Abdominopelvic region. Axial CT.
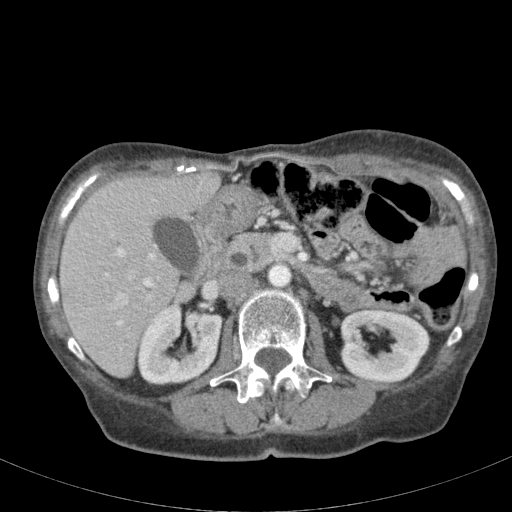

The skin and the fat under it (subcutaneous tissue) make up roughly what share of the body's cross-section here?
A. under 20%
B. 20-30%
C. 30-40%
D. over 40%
Answer: A. under 20%
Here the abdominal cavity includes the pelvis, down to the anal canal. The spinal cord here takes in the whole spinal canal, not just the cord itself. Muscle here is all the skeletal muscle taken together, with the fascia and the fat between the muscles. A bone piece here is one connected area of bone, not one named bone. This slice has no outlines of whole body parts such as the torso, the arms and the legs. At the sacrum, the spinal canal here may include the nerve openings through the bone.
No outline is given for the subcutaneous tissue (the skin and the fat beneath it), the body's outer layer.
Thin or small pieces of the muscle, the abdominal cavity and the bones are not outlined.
The muscle is outlined by 272,150 283,150 300,154 324,156 362,150 371,151 391,157 411,157 415,159 424,158 451,169 458,174 473,190 478,205 481,208 481,213 484,217 485,224 488,230 489,241 487,250 489,254 489,278 487,281 486,288 487,300 481,305 481,313 479,314 480,319 476,324 467,349 454,370 432,386 409,396 362,420 353,429 341,432 339,434 322,436 302,436 293,434 269,433 259,438 245,438 238,440 223,441 214,439 202,439 186,435 181,431 176,432 177,428 173,425 163,422 144,412 128,406 121,404 117,405 112,399 105,399 98,393 97,389 80,377 79,374 63,356 60,351 57,340 49,335 46,318 44,316 41,304 39,269 41,249 45,233 44,232 47,227 48,219 53,208 64,189 69,182 74,179 80,172 92,163 108,154 122,153 130,157 172,157 184,155 188,157 202,157 228,162 231,156 240,154 254,154 258,152 with holes at 266,156 428,188 465,228 478,276 459,341 406,381 367,381 332,365 305,311 304,359 332,380 303,399 280,388 245,403 234,382 209,384 240,363 232,317 211,369 159,397 78,359 47,291 77,185 124,163 and at 442,176 457,183 462,191 465,194 467,199 469,201 469,203 471,207 471,210 473,213 473,216 474,217 474,224 472,226 470,226 467,224 465,220 464,215 461,210 460,205 448,189 442,183 441,181 441,177 and at 276,411 277,411 277,412 278,413 278,414 279,415 279,416 280,417 280,418 282,420 282,423 280,425 275,425 275,424 271,420 271,418 273,416 273,415 274,414 274,413. The bones appear in 5 outlined pieces: piece 1: 265,289 291,293 300,302 306,323 304,359 308,365 331,375 332,380 314,381 303,399 295,390 280,388 275,394 266,391 261,396 240,403 236,399 234,382 225,381 211,386 209,380 240,363 239,311 250,298, around a hole outlined by 264,348 273,348 274,349 283,349 290,356 290,358 291,359 290,360 290,362 286,365 285,365 281,369 280,369 277,372 276,372 272,376 263,367 256,364 254,361 254,359 255,358 255,356 256,354 260,350; piece 2: 95,172 99,172 100,173 99,176 81,194 80,197 77,200 71,211 64,221 64,223 62,225 59,225 58,224 58,216 60,213 62,206 66,201 67,197 70,193 76,188 77,185 81,181 85,180 90,175; piece 3: 442,176 457,183 462,191 465,194 467,199 469,201 469,203 471,207 471,210 473,213 473,216 474,217 474,224 472,226 470,226 467,224 465,220 464,215 461,210 460,205 448,189 442,183 441,181 441,177; piece 4: 68,337 72,337 75,340 75,341 78,344 79,347 83,352 84,355 88,360 88,362 85,362 84,361 81,361 79,359 78,359 68,349 68,348 67,347 67,344 66,343 67,342 67,339 68,338; piece 5: 457,324 458,324 460,326 460,327 462,330 462,336 459,340 459,341 458,341 456,343 454,343 450,346 446,346 446,344 445,343 446,342 446,340 447,339 448,336 450,334 451,331 453,329 453,328. The spinal cord is outlined by 264,348 273,348 274,349 283,349 290,356 290,358 291,359 290,360 290,362 286,365 285,365 281,369 280,369 277,372 276,372 272,376 263,367 256,364 254,361 254,359 255,358 255,356 256,354 260,350. The abdominal cavity is outlined by 266,156 430,190 465,228 469,249 459,319 445,342 406,381 349,376 329,361 316,316 291,292 265,288 239,309 236,329 232,317 226,320 207,373 159,397 120,387 60,319 54,273 74,206 120,164 217,169.